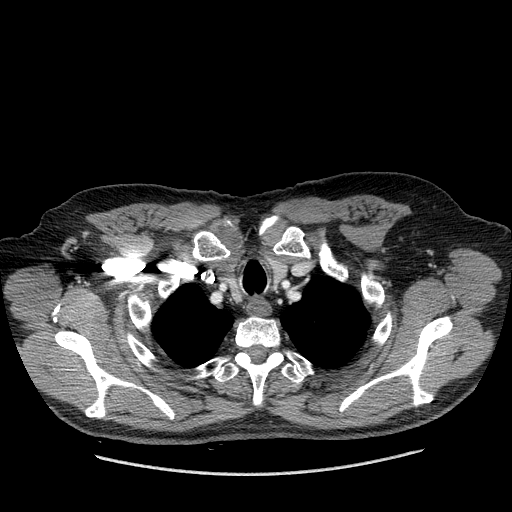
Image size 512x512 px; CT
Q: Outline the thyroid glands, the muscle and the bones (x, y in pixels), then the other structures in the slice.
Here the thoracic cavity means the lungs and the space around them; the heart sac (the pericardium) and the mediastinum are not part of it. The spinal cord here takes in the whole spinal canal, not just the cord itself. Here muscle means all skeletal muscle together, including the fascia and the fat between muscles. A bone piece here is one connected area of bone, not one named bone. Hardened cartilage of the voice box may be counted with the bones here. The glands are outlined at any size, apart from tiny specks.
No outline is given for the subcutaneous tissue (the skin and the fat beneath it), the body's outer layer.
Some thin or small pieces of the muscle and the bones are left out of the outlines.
A: {"thyroid_glands":[[[267,257],[273,257],[279,262],[281,263],[284,263],[288,266],[288,273],[287,274],[287,276],[285,277],[280,282],[277,289],[276,289],[275,291],[273,291],[271,288],[271,285],[272,284],[272,271],[270,269],[268,265],[268,263],[266,261],[266,258]],[[234,260],[236,260],[236,265],[233,270],[233,275],[235,278],[235,287],[231,295],[227,287],[227,284],[224,281],[219,279],[216,276],[216,270],[219,267],[222,266],[223,264],[226,264]]],"muscle":[{"outer":[[357,193],[410,207],[412,213],[399,219],[388,236],[391,252],[410,272],[431,272],[457,247],[486,254],[502,271],[491,311],[494,338],[489,352],[441,397],[435,399],[420,378],[430,346],[453,327],[448,314],[421,328],[408,360],[359,385],[338,406],[342,413],[371,387],[400,376],[408,378],[410,406],[427,404],[366,426],[306,427],[266,410],[175,432],[103,420],[111,386],[145,394],[170,421],[176,413],[141,383],[107,371],[89,339],[67,328],[59,329],[54,340],[82,359],[95,384],[94,400],[82,413],[38,390],[28,375],[16,348],[5,282],[17,269],[46,262],[69,275],[87,268],[98,252],[87,214],[136,202],[188,200],[251,215],[294,197],[335,199]],"holes":[[[291,225],[304,232],[311,256],[303,259],[312,268],[321,268],[318,253],[323,241],[320,231],[324,229],[333,257],[347,268],[350,285],[359,291],[362,275],[381,284],[384,301],[381,307],[369,309],[369,334],[357,355],[337,369],[316,367],[315,374],[307,375],[300,383],[284,376],[279,366],[271,369],[264,381],[261,406],[252,402],[253,385],[244,368],[222,382],[212,375],[187,380],[194,372],[171,360],[151,334],[143,333],[131,321],[128,298],[137,294],[148,301],[155,313],[161,304],[161,280],[178,277],[183,282],[193,277],[201,262],[192,254],[193,237],[199,230],[213,232],[230,250],[230,255],[221,260],[228,263],[250,248],[266,258],[274,255],[272,247]],[[127,331],[130,331],[157,357],[158,359],[158,361],[157,362],[154,362],[153,363],[153,365],[155,367],[159,369],[160,371],[153,371],[150,368],[149,368],[144,364],[138,361],[137,358],[129,347],[128,344],[125,341],[124,341],[124,335]],[[387,310],[390,310],[393,314],[393,318],[392,319],[392,326],[391,327],[391,330],[390,331],[390,333],[388,337],[386,339],[385,342],[380,347],[378,347],[376,345],[375,345],[371,342],[371,336],[376,326],[381,320],[381,319],[384,316]],[[272,214],[278,214],[280,216],[280,219],[275,224],[274,224],[271,227],[270,227],[261,236],[258,235],[258,234],[257,233],[257,230],[256,229],[256,227],[258,225],[258,223],[259,222],[259,221],[264,217],[266,217],[267,216],[269,216]],[[225,218],[226,218],[227,219],[230,219],[233,222],[233,223],[234,224],[234,225],[235,226],[235,228],[234,227],[231,227],[230,226],[228,226],[227,225],[224,225],[221,222],[221,221],[223,219],[224,219]]]},[[229,334],[232,334],[232,339],[231,340],[231,342],[232,343],[231,344],[231,345],[226,351],[225,351],[224,352],[222,352],[221,353],[219,353],[219,352],[220,351],[220,349],[221,348],[221,347],[222,346],[226,337],[227,337],[229,335]]],"bones":[{"outer":[[252,315],[276,319],[283,338],[314,366],[315,374],[294,383],[281,373],[279,366],[271,369],[264,381],[261,406],[252,402],[253,385],[244,368],[222,382],[212,375],[187,380],[194,372],[184,368],[191,369],[226,352],[233,343],[234,326]],"hole":[[254,345],[261,345],[262,346],[263,346],[268,349],[268,351],[269,352],[268,353],[266,358],[262,362],[261,362],[260,363],[255,363],[254,362],[253,362],[252,361],[252,360],[251,359],[249,354],[247,352],[247,349],[248,348],[249,348]]},[[62,329],[85,336],[97,363],[107,372],[141,384],[160,396],[174,411],[173,419],[170,420],[145,393],[117,385],[111,385],[107,390],[104,399],[107,410],[105,416],[100,419],[86,416],[82,408],[97,397],[96,384],[83,359],[56,342],[54,335]],[[445,315],[450,316],[452,327],[429,346],[419,378],[419,384],[424,390],[434,392],[432,401],[411,406],[413,392],[409,378],[400,375],[371,386],[342,412],[339,410],[342,400],[359,386],[397,369],[408,361],[416,352],[422,328],[435,318]],[[199,230],[209,230],[213,232],[230,250],[230,255],[227,258],[225,259],[222,259],[221,260],[213,260],[212,261],[200,261],[196,259],[193,256],[192,254],[192,251],[194,247],[194,243],[193,242],[193,237],[194,236],[194,234]],[[291,225],[298,226],[301,228],[304,232],[303,239],[310,250],[311,253],[310,258],[303,258],[302,257],[290,256],[284,254],[277,255],[275,254],[273,251],[272,247],[274,244],[280,239],[282,233],[285,229],[288,226]],[[132,294],[137,294],[138,297],[140,299],[142,300],[147,300],[153,312],[152,319],[150,323],[150,334],[148,335],[143,333],[140,330],[139,330],[131,321],[131,319],[129,316],[129,313],[128,312],[128,307],[127,306],[127,300],[128,298]],[[322,229],[325,230],[324,239],[329,246],[333,257],[338,262],[345,265],[347,268],[348,271],[348,278],[346,282],[341,282],[333,277],[327,275],[321,269],[320,263],[319,262],[318,253],[320,249],[320,245],[323,241],[323,238],[320,234],[320,231]],[[362,275],[365,275],[365,276],[371,281],[376,281],[377,282],[379,282],[381,284],[384,291],[384,301],[381,307],[377,308],[376,309],[373,307],[371,307],[369,309],[368,309],[365,306],[363,302],[362,295],[360,291],[360,284],[361,283]],[[127,331],[130,331],[157,357],[158,359],[158,361],[157,362],[154,362],[153,363],[153,365],[155,367],[159,369],[160,371],[153,371],[150,368],[149,368],[144,364],[138,361],[137,358],[129,347],[128,344],[125,341],[124,341],[124,335]],[[387,310],[390,310],[393,314],[393,318],[392,319],[392,326],[391,327],[391,330],[390,331],[390,333],[388,337],[386,339],[385,342],[380,347],[378,347],[376,345],[375,345],[371,342],[371,336],[376,326],[381,320],[381,319],[384,316]],[[170,277],[178,277],[178,279],[179,280],[179,281],[180,282],[181,282],[179,284],[179,285],[176,288],[176,289],[162,303],[161,303],[160,302],[160,298],[159,297],[159,295],[158,294],[158,283],[161,280],[169,280],[170,279]],[[272,214],[278,214],[280,216],[280,219],[275,224],[274,224],[271,227],[270,227],[261,236],[258,235],[258,234],[257,233],[257,230],[256,229],[256,227],[258,225],[258,223],[259,222],[259,221],[264,217],[266,217],[267,216],[269,216]]],"torso":[[[364,170],[425,178],[445,190],[467,213],[509,228],[511,273],[502,325],[479,381],[453,410],[414,429],[361,440],[279,438],[150,446],[80,433],[46,403],[28,375],[8,321],[0,271],[1,238],[31,231],[45,210],[94,186],[142,182],[247,196]]],"thoracic_cavity":[[[250,248],[265,256],[270,288],[288,305],[300,300],[317,268],[360,292],[371,326],[352,361],[337,369],[315,367],[284,338],[276,318],[254,314],[233,326],[218,354],[191,368],[160,349],[151,334],[160,305],[197,273],[209,299],[229,307],[237,260]]],"mediastinum":[[[273,255],[302,258],[314,269],[309,275],[308,279],[303,287],[302,295],[296,303],[289,303],[288,304],[285,301],[284,298],[281,296],[280,293],[276,290],[278,289],[281,282],[288,276],[289,273],[289,266],[284,262],[281,262],[273,256],[271,256]],[[213,261],[225,261],[226,262],[226,263],[223,263],[222,265],[219,266],[215,270],[215,276],[219,280],[226,284],[226,287],[229,293],[227,295],[227,304],[229,306],[219,307],[215,304],[210,299],[206,291],[198,281],[198,265],[201,262],[212,262]]],"spinal_cord":[[[254,345],[261,345],[262,346],[263,346],[268,349],[268,351],[269,352],[268,353],[266,358],[262,362],[261,362],[260,363],[255,363],[254,362],[253,362],[252,361],[252,360],[251,359],[249,354],[247,352],[247,349],[248,348],[249,348]]]}